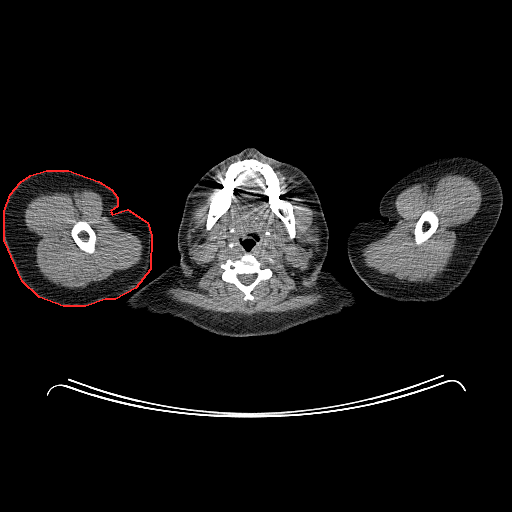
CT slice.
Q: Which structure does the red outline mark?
A: red: right arm.
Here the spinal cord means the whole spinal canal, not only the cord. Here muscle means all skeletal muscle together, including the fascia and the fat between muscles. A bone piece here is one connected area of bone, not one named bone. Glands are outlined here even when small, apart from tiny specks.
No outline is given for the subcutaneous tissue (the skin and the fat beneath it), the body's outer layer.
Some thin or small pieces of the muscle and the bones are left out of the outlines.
{"right_arm":[[[46,170],[68,170],[98,181],[111,189],[117,197],[117,206],[110,211],[112,214],[127,209],[147,222],[151,235],[150,269],[135,288],[115,299],[105,299],[85,306],[63,306],[39,297],[22,281],[4,240],[4,211],[10,194],[20,182],[30,175]]],"head_and_neck":[{"outer":[[249,146],[255,147],[271,158],[292,164],[306,174],[318,195],[329,231],[329,240],[322,267],[324,273],[320,286],[295,320],[273,335],[233,337],[221,333],[205,321],[190,301],[186,288],[184,268],[177,247],[177,233],[186,197],[193,186],[211,167]],"hole":[[254,236],[257,236],[257,240],[256,240],[255,241],[255,243],[253,245],[253,246],[248,251],[247,251],[242,246],[242,245],[241,244],[241,242],[242,241],[242,240],[245,240],[246,239],[252,239],[254,237]]}],"muscle":[{"outer":[[249,154],[290,171],[315,212],[319,229],[309,228],[303,241],[320,241],[312,268],[325,298],[316,305],[245,315],[205,310],[162,292],[190,264],[186,237],[196,201],[230,162],[208,206],[209,234],[218,238],[225,232],[215,223],[231,206],[237,178],[252,173],[261,176],[269,207],[282,221],[275,221],[270,233],[281,242],[287,232],[290,239],[296,237],[297,206],[281,198],[280,181],[270,164],[254,157],[238,159]],"hole":[[254,236],[257,236],[257,240],[248,251],[258,260],[269,256],[274,262],[268,265],[272,271],[271,276],[261,280],[251,291],[254,299],[244,300],[244,294],[233,283],[222,279],[223,269],[220,263],[228,258],[239,259],[247,251],[241,244],[242,240]]},{"outer":[[65,188],[86,188],[101,195],[103,214],[120,228],[132,232],[141,240],[143,250],[141,259],[137,264],[125,270],[115,271],[106,279],[93,281],[83,288],[56,285],[43,276],[36,265],[36,244],[32,234],[24,224],[23,210],[26,203],[39,192]],"hole":[[78,220],[83,220],[87,222],[92,228],[92,229],[95,233],[95,235],[96,236],[95,248],[94,249],[94,251],[92,253],[88,253],[82,250],[77,245],[77,244],[75,242],[74,239],[71,235],[71,229],[74,224],[74,221],[77,221]]},{"outer":[[450,172],[468,175],[477,181],[483,191],[483,199],[478,211],[467,224],[453,253],[448,269],[433,282],[410,282],[368,267],[364,263],[361,249],[366,244],[383,236],[394,225],[396,221],[394,205],[396,196],[412,184],[438,178]],"hole":[[426,210],[431,210],[434,212],[434,213],[437,216],[438,218],[438,225],[435,231],[425,241],[424,241],[421,244],[418,245],[416,244],[415,242],[415,239],[414,238],[414,229],[415,228],[415,225],[417,221],[419,219],[421,214],[424,211]]}],"submandibular_glands":[[[275,222],[281,222],[285,226],[285,227],[286,228],[286,234],[287,235],[287,238],[284,241],[281,241],[276,236],[274,236],[271,233],[271,228],[272,227],[272,225]],[[216,224],[220,224],[224,228],[224,232],[220,236],[219,236],[218,237],[213,237],[210,234],[210,231],[211,230],[211,229]]],"spinal_cord":[[[240,274],[256,274],[256,276],[255,277],[255,278],[253,280],[253,281],[251,283],[250,283],[249,284],[248,284],[247,285],[246,285],[245,284],[244,284],[243,283],[242,283],[239,280],[239,279],[238,278],[238,277],[237,276],[238,275],[239,275]]],"torso":[[[179,259],[183,268],[186,293],[194,309],[204,321],[210,326],[213,327],[221,334],[225,336],[230,336],[224,336],[211,333],[187,321],[166,314],[149,313],[143,309],[133,310],[124,306],[127,299],[134,292],[157,277],[169,266],[177,263]],[[325,270],[331,272],[342,284],[347,287],[353,293],[357,300],[357,304],[354,307],[345,308],[338,314],[333,314],[332,315],[325,316],[319,319],[313,320],[307,323],[295,326],[281,333],[276,334],[294,322],[303,311],[305,307],[314,298],[323,281]]],"bones":[[[248,158],[270,165],[279,181],[282,192],[280,198],[296,206],[293,209],[295,237],[289,237],[283,221],[272,211],[263,188],[262,176],[252,172],[242,172],[236,178],[230,206],[209,230],[206,229],[210,203],[222,187],[220,182],[228,166],[237,160]],{"outer":[[245,252],[250,252],[258,260],[263,260],[269,256],[274,261],[268,265],[272,271],[271,276],[268,279],[261,280],[251,291],[254,298],[253,300],[244,300],[244,294],[233,283],[226,282],[221,277],[223,269],[220,267],[220,263],[228,258],[237,260]],"hole":[[240,274],[256,274],[256,276],[255,277],[255,278],[253,280],[253,281],[251,283],[250,283],[249,284],[248,284],[247,285],[246,285],[245,284],[244,284],[243,283],[242,283],[239,280],[239,279],[238,278],[238,277],[237,276],[238,275],[239,275]]},[[78,220],[83,220],[87,222],[92,228],[92,229],[95,233],[95,235],[96,236],[95,248],[94,249],[94,251],[92,253],[88,253],[82,250],[77,245],[77,244],[75,242],[74,239],[71,235],[71,229],[74,224],[74,221],[77,221]],[[426,210],[431,210],[434,212],[434,213],[437,216],[438,218],[438,225],[435,231],[425,241],[424,241],[421,244],[418,245],[416,244],[415,242],[415,239],[414,238],[414,229],[415,228],[415,225],[417,221],[419,219],[421,214],[424,211]]],"parotid_glands":[[[315,227],[316,228],[317,228],[317,229],[318,230],[319,230],[319,241],[317,243],[316,243],[315,244],[314,243],[309,243],[306,241],[304,241],[304,238],[305,237],[305,236],[308,233],[308,232],[309,231],[309,229],[310,229],[311,228],[314,228]]],"left_arm":[[[450,156],[478,160],[496,175],[503,199],[501,212],[492,233],[467,277],[445,298],[437,301],[403,302],[377,294],[358,277],[350,264],[346,247],[348,234],[358,222],[367,218],[379,219],[386,223],[388,219],[379,211],[383,195],[416,168],[433,160]]]}